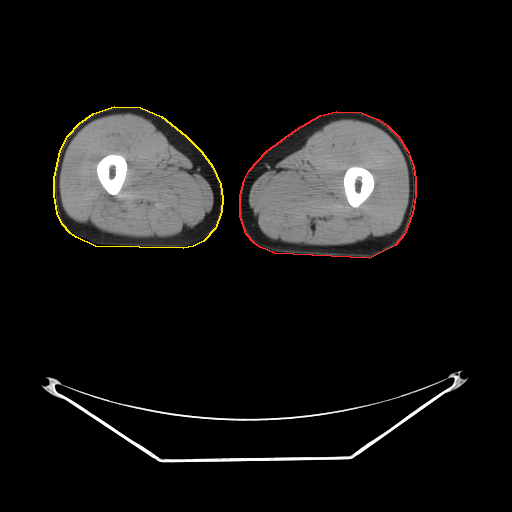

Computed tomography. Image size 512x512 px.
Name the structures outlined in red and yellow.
red: left leg; yellow: right leg.
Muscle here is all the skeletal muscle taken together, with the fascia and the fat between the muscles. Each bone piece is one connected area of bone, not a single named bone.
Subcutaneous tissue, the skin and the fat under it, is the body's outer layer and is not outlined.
The left leg is outlined by (336, 111) (361, 112) (378, 119) (387, 125) (398, 136) (407, 150) (413, 166) (415, 179) (415, 195) (412, 213) (404, 234) (395, 245) (369, 258) (274, 253) (260, 247) (254, 243) (246, 234) (240, 216) (240, 195) (244, 180) (249, 170) (266, 151) (296, 129) (320, 115). The right leg is outlined by (114, 106) (140, 107) (161, 116) (185, 135) (201, 151) (212, 166) (220, 184) (222, 198) (221, 211) (215, 228) (203, 241) (193, 246) (183, 248) (95, 246) (76, 237) (70, 233) (62, 224) (57, 213) (54, 195) (54, 178) (60, 150) (68, 135) (79, 123) (93, 113). The muscle appears in 2 outlined pieces: piece 1: (339, 119) (356, 119) (368, 122) (383, 130) (400, 149) (408, 170) (409, 198) (399, 228) (390, 235) (379, 239) (334, 247) (277, 243) (271, 240) (261, 231) (251, 217) (248, 199) (254, 181) (261, 174) (267, 171) (269, 167) (285, 157) (315, 131) (327, 123), around a hole outlined by (350, 166) (361, 166) (367, 169) (373, 175) (373, 177) (374, 178) (374, 188) (372, 192) (367, 198) (367, 199) (358, 207) (353, 207) (348, 203) (347, 199) (346, 198) (346, 196) (345, 195) (344, 187) (343, 186) (343, 177) (344, 176) (344, 174) (346, 170); piece 2: (117, 113) (132, 113) (151, 121) (176, 149) (197, 165) (203, 177) (209, 183) (213, 193) (213, 211) (197, 230) (175, 239) (157, 237) (132, 238) (102, 232) (93, 227) (78, 223) (67, 215) (62, 206) (59, 187) (60, 171) (65, 152) (72, 139) (85, 125) (97, 118), around a hole outlined by (112, 153) (118, 153) (123, 155) (125, 157) (125, 159) (127, 163) (127, 171) (126, 172) (125, 180) (122, 185) (122, 187) (120, 191) (116, 195) (109, 194) (105, 190) (100, 183) (97, 177) (97, 173) (96, 172) (96, 165) (97, 163) (103, 157) (108, 154) (111, 154). The bones appear in 2 outlined pieces: piece 1: (350, 166) (361, 166) (367, 169) (373, 175) (373, 177) (374, 178) (374, 188) (372, 192) (367, 198) (367, 199) (358, 207) (353, 207) (348, 203) (347, 199) (346, 198) (346, 196) (345, 195) (344, 187) (343, 186) (343, 177) (344, 176) (344, 174) (346, 170); piece 2: (112, 153) (118, 153) (123, 155) (125, 157) (125, 159) (127, 163) (127, 171) (126, 172) (125, 180) (122, 185) (122, 187) (120, 191) (116, 195) (109, 194) (105, 190) (100, 183) (97, 177) (97, 173) (96, 172) (96, 165) (97, 163) (103, 157) (108, 154) (111, 154).